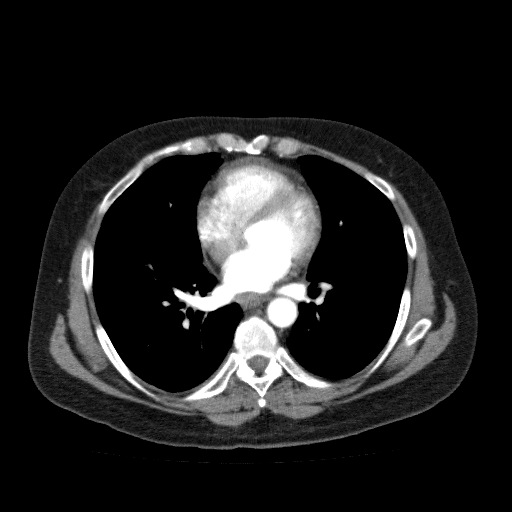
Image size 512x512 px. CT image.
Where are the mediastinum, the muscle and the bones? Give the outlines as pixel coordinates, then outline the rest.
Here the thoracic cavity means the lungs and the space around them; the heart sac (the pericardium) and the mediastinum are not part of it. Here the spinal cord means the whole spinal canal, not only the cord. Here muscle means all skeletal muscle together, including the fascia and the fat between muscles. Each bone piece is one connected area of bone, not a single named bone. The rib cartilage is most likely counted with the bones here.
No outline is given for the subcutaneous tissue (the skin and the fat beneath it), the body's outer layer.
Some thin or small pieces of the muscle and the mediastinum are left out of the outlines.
The mediastinum appears in 2 outlined pieces: piece 1: 307,269 305,282 297,290 300,298 298,316 286,338 286,347 279,343 275,330 262,317 251,315 241,320 243,311 239,304 235,301 226,300 226,294 218,287 219,284 224,289 233,292 262,294 298,282 304,277; piece 2: 219,148 227,152 243,152 251,155 259,155 265,150 271,150 280,157 292,154 301,154 297,158 301,173 297,169 289,165 274,161 267,157 257,155 242,155 226,159 222,162 220,155 217,152 212,151. The muscle appears in 4 outlined pieces: piece 1: 387,181 401,193 421,229 437,303 443,303 445,294 456,314 454,335 445,349 407,378 309,417 263,409 250,420 229,426 108,394 62,369 50,354 57,314 65,314 69,306 72,256 101,200 97,212 103,217 94,245 87,243 80,256 81,282 87,294 92,291 99,318 94,332 103,352 147,396 156,401 159,397 138,378 171,393 194,389 181,398 185,402 218,395 235,378 256,391 256,402 263,408 267,390 284,375 307,387 327,389 334,385 327,380 348,378 377,356 367,377 386,359 405,327 411,305 411,290 405,285 407,260 417,254 414,230 401,223, around a hole outlined by 424,317 429,318 431,320 432,322 431,326 428,329 428,330 425,333 425,334 422,338 419,339 417,341 416,341 409,346 405,346 404,345 404,339 405,338 405,336 407,334 409,330 414,325 414,324 418,320; piece 2: 269,135 282,137 288,136 302,142 321,147 357,162 369,170 363,171 361,174 362,176 348,167 321,155 312,153 296,153 300,148 300,144 297,141 289,138 281,138 271,146 271,149 266,149 271,142 271,138; piece 3: 213,133 217,133 215,134 214,138 213,139 213,144 218,148 216,148 215,149 214,148 213,149 212,144 207,139 203,138 202,137 192,137 195,137 196,136 200,136 201,135 208,135 209,134 212,134; piece 4: 162,156 166,156 161,158 159,160 158,160 156,162 155,162 153,164 152,164 149,167 148,167 145,169 145,167 147,165 149,165 150,164 151,164 153,162 153,161 156,158 157,158 158,157 161,157. The bones appear in 10 outlined pieces: piece 1: 251,316 258,316 271,326 278,343 285,347 305,370 333,385 327,388 311,387 284,374 268,387 264,395 266,403 260,407 257,391 235,377 234,382 230,382 218,394 196,400 182,400 215,373 233,349 237,326 with a hole at 254,356 262,356 263,357 264,357 265,358 266,358 267,359 267,364 266,365 266,366 264,368 264,369 263,370 263,371 261,373 257,373 249,365 249,363 248,362 249,361 249,360 251,358 252,358; piece 2: 191,138 202,138 207,140 212,147 210,151 197,154 175,152 170,155 162,155 156,157 151,163 147,164 144,167 144,170 139,176 114,200 103,215 98,212 99,205 110,188 144,156 165,146 178,144; piece 3: 95,322 100,322 103,328 105,330 115,350 123,362 137,377 137,379 139,382 144,387 151,392 154,393 158,397 158,400 156,400 152,398 150,396 147,395 135,387 115,368 104,352 98,340 98,338 95,332; piece 4: 221,132 229,133 230,134 232,134 237,138 243,138 246,140 250,140 252,138 260,134 266,134 269,136 270,138 270,142 268,146 259,154 251,154 243,151 227,151 222,148 218,147 214,144 214,139 216,134; piece 5: 405,286 408,286 410,290 410,305 409,306 409,311 407,315 407,318 404,327 397,341 385,359 373,372 366,376 369,370 377,360 379,354 386,345 391,335 397,318 397,315 399,311 399,306 401,301 401,297; piece 6: 87,244 91,244 93,247 93,271 92,272 92,290 89,293 87,293 85,291 85,290 84,289 84,287 83,286 83,283 82,282 82,278 81,277 81,256 82,255 82,252 83,251 84,248 86,246 86,245; piece 7: 424,317 429,318 431,320 432,322 431,326 428,329 428,330 425,333 425,334 422,338 419,339 417,341 416,341 409,346 405,346 404,345 404,339 405,338 405,336 407,334 409,330 414,325 414,324 418,320; piece 8: 365,171 369,171 381,177 384,180 385,180 390,185 393,191 393,193 395,196 395,198 394,200 391,201 381,191 380,191 373,184 372,184 368,180 367,180 363,176 362,174 363,172; piece 9: 281,139 289,139 295,142 297,142 299,144 299,148 298,150 295,153 292,153 288,155 284,155 283,156 280,156 278,155 277,153 276,153 273,150 272,150 272,146 275,143 276,143 279,140; piece 10: 405,223 410,225 413,230 414,236 415,237 415,241 416,242 416,254 415,255 415,257 413,259 410,258 407,254 407,250 406,249 406,245 405,244 405,239 404,238 404,234 403,233 403,228 402,227 402,225. The torso is outlined by 197,115 299,116 346,122 391,141 423,166 446,202 478,306 478,335 473,359 453,393 422,413 356,435 264,449 203,449 158,444 88,420 42,395 28,368 27,341 42,246 61,191 94,153 120,135 153,122. The pericardium is outlined by 242,156 257,156 267,158 297,170 303,176 313,193 321,214 320,239 303,277 292,284 267,290 262,293 251,291 233,291 224,288 218,283 216,277 208,270 204,263 201,244 197,231 197,204 206,183 224,161. The spinal cord is outlined by 254,356 262,356 263,357 264,357 265,358 266,358 267,359 267,364 266,365 266,366 264,368 264,369 263,370 263,371 261,373 257,373 249,365 249,363 248,362 249,361 249,360 251,358 252,358. The thoracic cavity appears in 2 outlined pieces: piece 1: 211,151 219,155 221,163 209,174 196,204 202,263 215,277 225,300 238,304 242,316 234,330 232,349 214,373 197,387 171,392 138,377 119,355 101,323 93,294 94,246 110,206 146,169 174,154 197,155; piece 2: 307,154 321,156 348,168 391,202 401,224 407,255 405,283 385,345 365,367 340,379 325,379 315,375 296,361 287,349 287,338 299,316 301,298 298,290 306,282 308,266 322,235 320,206 298,161 301,155.